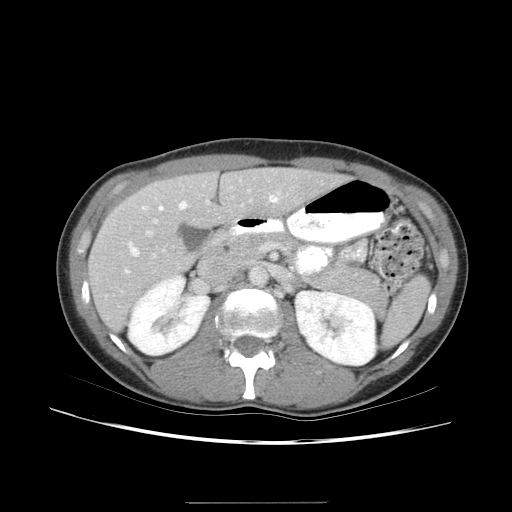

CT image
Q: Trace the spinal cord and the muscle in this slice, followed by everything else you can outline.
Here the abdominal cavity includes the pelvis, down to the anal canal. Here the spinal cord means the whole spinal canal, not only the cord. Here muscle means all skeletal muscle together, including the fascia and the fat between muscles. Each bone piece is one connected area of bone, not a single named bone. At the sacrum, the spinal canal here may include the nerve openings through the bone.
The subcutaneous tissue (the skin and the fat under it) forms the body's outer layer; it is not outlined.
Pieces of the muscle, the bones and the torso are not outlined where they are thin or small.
A: The spinal cord is outlined by 245 356; 252 356; 256 353; 257 353; 259 350; 262 349; 264 347; 265 345; 264 341; 261 338; 258 338; 254 336; 249 336; 248 335; 245 335; 244 336; 241 336; 240 337; 238 337; 236 339; 234 345; 235 347; 242 354; 243 354. The muscle is outlined by 296 410; 349 399; 407 363; 437 329; 458 272; 455 240; 442 206; 424 189; 375 167; 318 156; 192 155; 129 169; 106 180; 71 234; 68 279; 77 314; 104 352; 149 387; 197 403; 243 400; 243 373; 222 357; 228 341; 213 321; 223 299; 213 302; 196 337; 173 354; 146 359; 125 345; 129 352; 124 353; 108 336; 91 301; 85 305; 80 299; 85 252; 77 254; 75 247; 84 229; 92 234; 114 201; 150 177; 209 167; 289 163; 333 169; 377 181; 406 203; 429 238; 438 269; 435 312; 426 312; 397 357; 353 369; 307 348; 297 333; 291 305; 280 302; 282 326; 270 344; 277 361; 268 370; 257 370; 255 400 with holes at 445 269; 448 266; 448 264; 449 263; 449 259; 448 258; 448 254; 447 253; 447 250; 446 249; 446 248; 445 248; 444 247; 442 247; 440 249; 440 251; 439 252; 439 259; 440 260; 440 263; 441 264; 441 265; 442 266; 442 267 and at 429 219; 431 219; 431 218; 433 216; 433 215; 432 214; 432 212; 431 211; 430 208; 429 207; 428 207; 426 205; 425 205; 422 203; 420 203; 420 205; 421 205; 422 206; 422 208; 423 209; 423 211; 424 212; 425 215 and at 113 192; 116 192; 117 191; 117 190; 118 189; 119 189; 119 188; 120 187; 121 187; 121 183; 119 183; 118 184; 117 184; 113 188; 113 189; 112 190; 112 191. The torso is outlined by 294 419; 337 416; 382 397; 416 373; 443 343; 459 313; 469 268; 461 226; 444 196; 424 179; 377 155; 317 139; 219 138; 127 161; 103 173; 71 210; 56 251; 59 302; 80 347; 119 384; 158 402; 207 411; 250 406. The abdominal cavity is outlined by 353 368; 380 361; 411 335; 437 277; 427 236; 389 188; 354 174; 289 164; 209 168; 150 178; 100 220; 86 252; 90 300; 106 328; 136 353; 146 358; 173 353; 195 337; 216 298; 247 286; 269 291; 278 302; 288 300; 307 347. The bones appear in 4 outlined pieces: piece 1: 244 399; 255 397; 253 377; 256 370; 260 367; 268 369; 275 364; 274 353; 269 344; 282 321; 278 303; 273 295; 265 290; 247 287; 229 292; 214 317; 215 326; 229 341; 223 357; 230 365; 240 367; 244 373; 245 389; 242 395 with a hole at 245 356; 252 356; 256 353; 257 353; 259 350; 262 349; 264 347; 265 345; 264 341; 261 338; 258 338; 254 336; 249 336; 248 335; 245 335; 244 336; 241 336; 240 337; 238 337; 236 339; 234 345; 235 347; 242 354; 243 354; piece 2: 77 253; 83 253; 86 250; 87 248; 87 246; 89 243; 89 241; 91 237; 90 236; 91 235; 90 234; 90 231; 88 229; 86 229; 84 230; 81 235; 81 237; 76 247; 76 252; piece 3: 387 360; 390 360; 391 359; 394 358; 396 356; 397 356; 401 352; 402 352; 407 347; 407 346; 408 345; 408 344; 409 343; 410 340; 408 338; 407 339; 406 339; 394 351; 394 352; 391 355; 390 355; 388 357; piece 4: 126 353; 127 353; 128 352; 127 351; 127 350; 125 348; 125 347; 124 346; 123 343; 121 341; 121 340; 114 334; 113 334; 110 332; 109 333; 109 336; 111 338; 111 339; 113 341; 113 342; 121 350; 122 350; 124 352; 125 352.